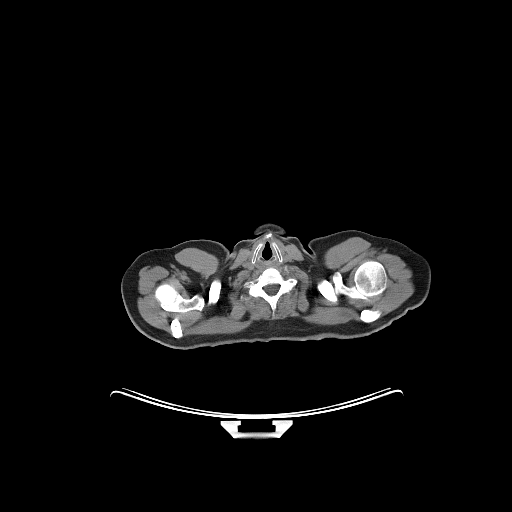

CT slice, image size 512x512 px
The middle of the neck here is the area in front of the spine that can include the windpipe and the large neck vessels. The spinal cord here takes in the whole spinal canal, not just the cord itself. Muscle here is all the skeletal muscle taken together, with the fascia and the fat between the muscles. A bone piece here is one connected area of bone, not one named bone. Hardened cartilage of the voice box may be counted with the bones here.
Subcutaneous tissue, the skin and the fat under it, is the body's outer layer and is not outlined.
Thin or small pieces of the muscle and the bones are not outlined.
The torso is outlined by (349, 229) (378, 236) (355, 263) (354, 288) (398, 318) (370, 335) (242, 342) (182, 350) (148, 338) (129, 318) (144, 311) (159, 296) (172, 265) (168, 247) (192, 239) (211, 239) (227, 247) (226, 306) (233, 317) (272, 327) (305, 316) (311, 310) (316, 284) (308, 241). The right arm is outlined by (154, 248) (167, 248) (171, 260) (171, 265) (169, 268) (166, 278) (158, 296) (144, 310) (139, 313) (129, 315) (128, 316) (124, 307) (124, 304) (121, 295) (121, 290) (120, 289) (120, 284) (121, 283) (122, 276) (125, 270) (139, 254) (147, 250) (150, 250). The bones appear in 8 outlined pieces: piece 1: (366, 260) (375, 260) (381, 263) (385, 269) (387, 276) (386, 288) (379, 295) (365, 300) (351, 298) (340, 294) (337, 302) (333, 303) (318, 290) (317, 283) (322, 279) (332, 282) (336, 272) (340, 274) (345, 285) (349, 287) (352, 286) (354, 284) (353, 278) (356, 269); piece 2: (268, 267) (274, 267) (279, 270) (284, 276) (291, 276) (296, 278) (297, 280) (297, 283) (290, 291) (282, 294) (278, 298) (274, 317) (269, 303) (260, 296) (250, 296) (248, 294) (248, 288) (244, 286) (244, 283) (246, 281) (257, 277) (264, 269), around a hole outlined by (270, 284) (277, 284) (278, 285) (278, 289) (277, 290) (277, 291) (274, 294) (269, 294) (268, 293) (267, 293) (264, 290) (264, 289) (263, 288) (265, 286) (266, 286) (267, 285) (269, 285); piece 3: (162, 282) (167, 282) (173, 285) (179, 292) (179, 293) (186, 299) (190, 298) (195, 294) (198, 294) (204, 299) (205, 303) (203, 308) (201, 310) (193, 309) (185, 312) (171, 312) (163, 309) (160, 306) (159, 302) (154, 296) (154, 291) (156, 287); piece 4: (216, 278) (218, 278) (221, 281) (221, 288) (220, 289) (220, 293) (219, 294) (219, 298) (216, 303) (215, 303) (214, 304) (207, 304) (207, 300) (208, 299) (208, 292) (209, 291) (209, 288) (210, 287) (210, 285) (211, 284) (211, 282) (214, 279) (215, 279); piece 5: (365, 308) (370, 308) (371, 309) (377, 309) (380, 311) (380, 312) (381, 313) (381, 314) (380, 315) (380, 316) (377, 319) (376, 319) (375, 320) (374, 320) (371, 322) (364, 322) (363, 321) (362, 321) (360, 319) (360, 312) (362, 309) (364, 309); piece 6: (176, 316) (177, 316) (178, 317) (178, 319) (180, 322) (180, 324) (181, 325) (181, 328) (182, 329) (182, 337) (181, 337) (180, 338) (176, 338) (175, 337) (172, 336) (172, 335) (171, 334) (171, 331) (170, 330) (170, 324) (171, 323) (171, 321) (172, 320) (172, 319); piece 7: (269, 232) (270, 232) (272, 234) (272, 237) (271, 238) (267, 238) (263, 241) (263, 245) (261, 247) (259, 251) (256, 254) (255, 262) (253, 264) (251, 262) (251, 258) (253, 255) (254, 249) (257, 246) (257, 245) (263, 240) (263, 237) (264, 235) (266, 233) (268, 233); piece 8: (272, 241) (273, 241) (277, 245) (277, 246) (279, 249) (279, 252) (281, 254) (281, 256) (282, 257) (282, 261) (281, 262) (279, 260) (279, 258) (277, 256) (277, 254) (276, 253) (276, 252) (275, 251) (275, 250) (273, 248) (273, 247) (271, 244) (271, 243) (272, 242). The head and neck is outlined by (265, 222) (274, 222) (279, 224) (290, 235) (297, 237) (301, 241) (311, 257) (311, 263) (315, 283) (310, 303) (310, 310) (305, 315) (272, 326) (246, 322) (239, 319) (231, 314) (227, 306) (228, 248) (230, 250) (238, 241) (251, 237) (252, 231) (258, 225). The muscle is outlined by (266, 230) (275, 231) (280, 237) (296, 245) (316, 270) (328, 248) (350, 237) (361, 237) (399, 256) (411, 268) (415, 275) (414, 292) (398, 307) (382, 316) (377, 308) (362, 308) (358, 321) (320, 325) (288, 317) (274, 321) (258, 320) (235, 333) (183, 336) (182, 325) (176, 315) (170, 321) (169, 334) (147, 323) (138, 311) (136, 294) (139, 270) (147, 264) (168, 268) (174, 254) (182, 247) (201, 248) (214, 254) (224, 264) (235, 252) (251, 244); inner edges: (269, 232) (279, 252) (291, 260) (285, 265) (287, 270) (283, 266) (279, 269) (280, 272) (297, 280) (290, 291) (278, 298) (274, 317) (269, 303) (260, 296) (250, 296) (248, 288) (244, 286) (246, 281) (257, 277) (262, 271) (242, 265) (251, 259) (254, 249), then (366, 260) (375, 260) (381, 263) (385, 269) (387, 276) (386, 288) (379, 295) (365, 300) (351, 298) (340, 294) (337, 302) (333, 303) (318, 290) (317, 283) (322, 279) (332, 282) (336, 272) (340, 274) (345, 285) (349, 287) (352, 286) (354, 284) (353, 278) (356, 269), then (162, 282) (167, 282) (173, 285) (179, 292) (179, 293) (186, 299) (190, 298) (195, 294) (198, 294) (204, 299) (205, 303) (203, 308) (201, 310) (193, 309) (185, 312) (171, 312) (163, 309) (160, 306) (159, 302) (154, 296) (154, 291) (156, 287), then (216, 278) (218, 278) (221, 281) (221, 288) (220, 289) (220, 293) (219, 294) (219, 298) (216, 303) (215, 303) (214, 304) (207, 304) (207, 300) (208, 299) (208, 292) (209, 291) (209, 288) (210, 287) (210, 285) (211, 284) (211, 282) (214, 279) (215, 279). The left arm is outlined by (379, 236) (387, 237) (397, 240) (405, 244) (416, 252) (423, 255) (429, 262) (431, 268) (431, 284) (430, 285) (429, 293) (426, 299) (419, 306) (413, 309) (408, 310) (404, 315) (399, 318) (370, 300) (366, 296) (358, 292) (353, 283) (354, 269) (357, 261) (370, 244). The middle of the neck is outlined by (267, 239) (272, 240) (270, 244) (278, 260) (281, 263) (283, 261) (282, 255) (287, 255) (291, 261) (279, 269) (277, 269) (274, 266) (268, 266) (261, 270) (257, 268) (244, 267) (242, 263) (248, 259) (253, 265) (256, 262) (257, 254) (264, 245) (264, 241). The spinal cord is outlined by (270, 284) (277, 284) (278, 285) (278, 289) (277, 290) (277, 291) (274, 294) (269, 294) (268, 293) (267, 293) (264, 290) (264, 289) (263, 288) (265, 286) (266, 286) (267, 285) (269, 285).